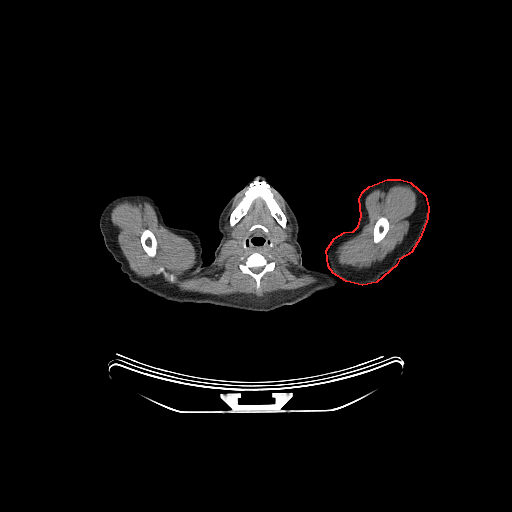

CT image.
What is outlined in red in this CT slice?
red: left arm.
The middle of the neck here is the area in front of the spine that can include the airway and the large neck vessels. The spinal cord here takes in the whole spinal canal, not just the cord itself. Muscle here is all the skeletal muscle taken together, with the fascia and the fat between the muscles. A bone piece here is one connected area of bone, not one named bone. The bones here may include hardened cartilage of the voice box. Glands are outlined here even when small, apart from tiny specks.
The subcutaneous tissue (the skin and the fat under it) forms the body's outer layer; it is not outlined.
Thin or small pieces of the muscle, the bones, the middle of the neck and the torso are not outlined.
Outlined structures:
left arm: 387,179 400,179 410,182 425,195 428,207 427,218 420,237 411,252 399,259 396,265 376,282 362,285 346,281 333,273 328,266 326,250 334,238 344,232 353,231 358,226 361,216 359,198 363,191 369,186
middle of the neck: 255,229 260,229 262,230 269,236 271,241 269,243 269,246 271,247 265,251 262,251 261,253 259,251 253,251 252,252 247,249 245,249 246,249 247,247 245,244 245,242 243,241 243,239 246,234 252,232
right arm: 125,194 146,194 151,196 159,207 163,220 168,226 185,228 195,232 202,246 201,261 186,272 174,273 162,269 140,279 129,280 128,276 120,270 120,264 114,260 107,250 99,225 100,216 105,206 114,198
submandibular glands 1: 239,224 242,224 244,226 244,227 245,228 245,235 243,237 243,238 242,239 238,239 237,238 234,238 233,237 232,237 231,236 231,233 232,232 232,230 237,225 238,225
submandibular glands 2: 276,227 279,227 280,228 281,228 284,231 284,232 286,234 286,238 282,242 280,242 279,241 276,241 276,240 275,239 276,238 276,237 275,236 275,228
head and neck: 258,176 262,176 271,182 285,198 294,212 299,224 297,240 301,247 302,264 305,267 295,279 278,289 270,297 260,301 251,301 237,296 222,283 212,261 222,236 218,230 218,217 222,209 248,180
spinal cord: 253,267 262,267 262,269 259,272 258,272 257,273 256,273 255,272 254,272 253,271 252,271 252,270 251,269 251,268 252,268
muscle 1: 242,193 229,214 229,225 233,227 239,222 259,199 284,229 287,217 277,195 292,223 291,239 298,251 298,272 311,275 317,281 263,295 239,292 216,295 180,289 173,284 177,276 163,266 156,272 164,279 142,277 130,268 117,240 118,230 111,220 111,211 118,203 148,202 160,225 190,241 196,255 191,271 199,272 217,261 228,237 225,216 with holes at 239,224 244,226 246,234 253,225 263,225 272,242 272,246 261,253 266,258 270,255 275,265 260,279 258,291 255,279 243,273 239,267 242,262 240,258 245,259 252,252 243,247 242,239 231,236 232,230 and at 144,229 149,229 153,233 156,239 156,241 157,242 157,247 156,248 156,254 155,256 153,257 150,257 146,253 141,243 141,240 140,239 140,237 141,236 142,231 and at 276,227 279,227 280,228 281,228 284,231 284,232 286,234 286,238 282,242 280,242 279,241 276,241 276,240 275,239 276,238 276,237 275,236 275,228
muscle 2: 395,185 409,187 416,196 416,206 414,211 408,217 409,229 402,242 382,260 376,261 368,267 357,268 352,265 339,263 336,254 338,246 357,235 369,221 365,206 365,199 368,194 376,189 387,191 390,187, around a hole outlined by 382,216 384,216 386,218 387,218 389,222 389,228 386,234 384,236 384,237 379,242 377,243 375,243 373,241 373,228 377,220 380,217
torso: 203,258 204,264 212,263 219,280 230,292 251,302 270,298 295,280 306,267 334,274 344,280 339,279 340,284 336,287 317,291 296,303 267,312 208,303 179,303 154,295 130,281 162,270 174,274 186,273
bones 1: 257,177 260,180 264,180 267,182 275,192 274,197 286,217 286,226 284,228 271,215 270,211 265,203 259,198 256,199 252,203 246,214 239,221 233,226 230,225 229,218 231,212 244,196 244,191 246,188
bones 2: 253,252 259,252 266,258 270,255 275,263 273,270 266,272 260,279 260,288 258,291 256,288 256,281 255,279 249,274 243,273 239,267 240,263 242,262 242,261 240,260 240,258 242,257 245,259; inner edge: 253,267 262,267 262,269 259,272 258,272 257,273 256,273 255,272 254,272 253,271 252,271 252,270 251,269 251,268 252,268
bones 3: 144,229 149,229 153,233 156,239 156,241 157,242 157,247 156,248 156,254 155,256 153,257 150,257 146,253 141,243 141,240 140,239 140,237 141,236 142,231
bones 4: 382,216 384,216 386,218 387,218 389,222 389,228 386,234 384,236 384,237 379,242 377,243 375,243 373,241 373,228 377,220 380,217
bones 5: 160,267 163,267 164,268 164,269 167,272 168,272 169,273 173,273 176,276 176,277 177,278 176,281 175,282 172,283 171,282 168,281 166,279 165,279 165,278 161,273 158,273 157,272 157,270
bones 6: 255,224 260,224 261,225 263,225 265,227 266,227 267,228 267,229 268,230 268,233 266,233 262,229 261,229 260,228 255,228 252,231 251,231 250,232 249,232 249,229 253,225 254,225